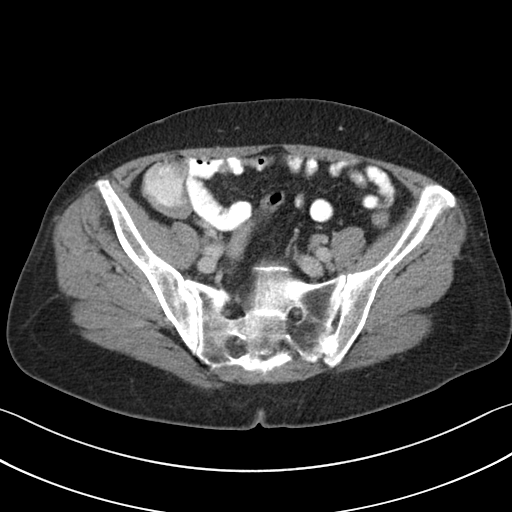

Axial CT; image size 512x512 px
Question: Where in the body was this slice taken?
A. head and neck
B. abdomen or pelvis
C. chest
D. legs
Answer: B. abdomen or pelvis
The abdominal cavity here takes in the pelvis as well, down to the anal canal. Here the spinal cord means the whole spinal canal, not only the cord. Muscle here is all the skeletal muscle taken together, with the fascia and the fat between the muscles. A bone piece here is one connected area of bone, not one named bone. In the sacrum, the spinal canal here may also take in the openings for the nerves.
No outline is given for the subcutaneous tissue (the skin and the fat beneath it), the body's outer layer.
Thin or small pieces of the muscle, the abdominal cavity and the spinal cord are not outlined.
{"torso":[[[285,97],[326,99],[377,112],[425,137],[461,167],[479,195],[511,300],[511,338],[505,351],[496,360],[408,401],[297,428],[266,428],[258,423],[246,430],[209,429],[135,418],[24,373],[6,343],[8,308],[44,211],[69,173],[106,145],[177,111]]],"spinal_cord":[[[293,308],[298,308],[300,310],[300,313],[302,315],[302,316],[300,318],[299,318],[298,319],[297,319],[296,320],[292,320],[291,319],[290,319],[288,317],[288,315],[290,313],[290,312],[291,311],[291,310]],[[235,347],[237,347],[238,348],[240,348],[241,349],[242,349],[244,351],[244,352],[242,354],[241,354],[239,356],[233,356],[231,354],[231,353],[233,351],[233,349]],[[226,308],[227,308],[228,308],[229,308],[230,309],[231,310],[231,311],[231,312],[231,313],[231,314],[231,315],[230,316],[229,317],[228,317],[227,317],[226,317],[225,316],[224,315],[224,314],[224,313],[224,312],[224,311],[224,310],[225,309]],[[266,355],[267,355],[268,355],[269,355],[270,355],[269,356],[268,356],[267,357],[266,357],[265,358],[264,358],[263,358],[262,358],[261,357],[261,356],[262,356],[263,356],[264,356],[265,356]],[[283,342],[284,342],[285,343],[286,344],[286,345],[285,346],[284,347],[283,347],[282,346],[281,345],[281,344],[282,343]]],"bones":[{"outer":[[100,178],[109,180],[159,257],[185,278],[242,302],[255,265],[280,262],[307,283],[374,266],[400,237],[427,184],[449,190],[456,205],[386,274],[338,364],[309,362],[294,351],[290,361],[263,373],[239,365],[211,369],[192,353],[122,248],[94,185]],"holes":[[[231,302],[232,302],[237,306],[240,307],[242,309],[242,312],[243,313],[242,314],[238,314],[235,316],[232,316],[231,315],[229,317],[226,317],[224,315],[224,310],[226,308],[227,308],[228,307],[227,306],[229,304],[230,304],[231,303]],[[293,308],[298,308],[300,310],[300,313],[302,315],[302,316],[300,318],[299,318],[298,319],[297,319],[296,320],[292,320],[291,319],[290,319],[288,317],[288,315],[290,313],[290,312],[291,311],[291,310]],[[235,347],[237,347],[238,348],[240,348],[241,349],[242,349],[244,351],[244,352],[242,354],[241,354],[239,356],[233,356],[231,354],[231,353],[233,351],[233,349]]]}],"abdominal_cavity":[[[279,147],[379,166],[409,190],[410,205],[369,244],[357,225],[334,232],[330,249],[340,273],[323,281],[294,276],[280,261],[263,262],[251,267],[242,301],[183,275],[206,240],[185,222],[169,226],[150,217],[130,195],[134,179],[176,154],[249,155]],[[231,302],[232,302],[234,304],[235,304],[237,306],[238,306],[239,307],[240,307],[242,309],[242,312],[243,313],[242,314],[238,314],[237,315],[236,315],[235,316],[232,316],[232,310],[229,307],[228,307],[227,306],[229,304],[230,304],[231,303]]],"muscle":[[[269,143],[339,149],[438,182],[423,186],[399,237],[379,261],[343,273],[334,261],[333,234],[357,226],[369,245],[414,200],[391,171],[366,160],[328,159],[279,146],[249,154],[168,155],[146,165],[128,191],[150,218],[169,227],[185,223],[205,240],[183,273],[148,245],[110,180],[102,177],[97,178],[93,183],[93,185],[121,248],[186,347],[211,370],[239,366],[265,374],[290,362],[294,352],[306,362],[321,359],[335,367],[363,329],[382,281],[443,211],[457,205],[456,197],[466,239],[461,258],[453,262],[449,288],[426,310],[433,314],[428,335],[386,360],[338,375],[275,384],[227,382],[213,390],[83,338],[71,321],[72,299],[58,289],[52,233],[58,216],[86,184],[123,163],[140,156]]]}